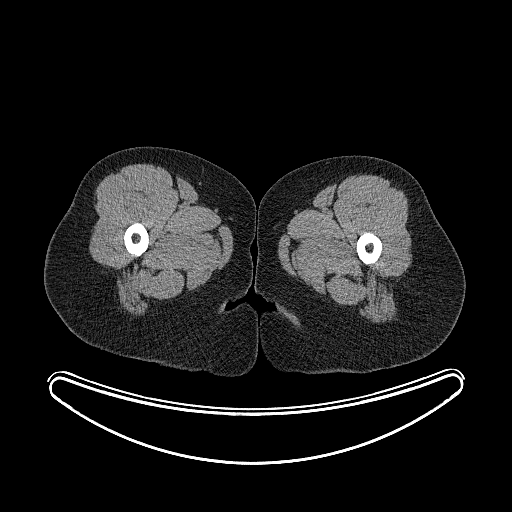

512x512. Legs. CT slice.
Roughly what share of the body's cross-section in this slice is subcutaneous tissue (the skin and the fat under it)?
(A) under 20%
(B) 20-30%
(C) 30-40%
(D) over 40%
Answer: (D) over 40%
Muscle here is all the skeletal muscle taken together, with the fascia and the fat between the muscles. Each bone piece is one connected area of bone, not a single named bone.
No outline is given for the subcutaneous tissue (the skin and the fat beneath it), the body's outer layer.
The bones appear in 2 outlined pieces: piece 1: 134 222; 140 222; 143 224; 147 230; 147 232; 148 233; 148 237; 149 238; 149 243; 148 244; 148 247; 147 249; 139 256; 135 256; 131 254; 126 249; 124 244; 124 239; 123 238; 124 232; 126 228; 129 225; piece 2: 365 231; 369 231; 375 234; 380 239; 382 243; 382 249; 381 250; 381 253; 378 259; 374 263; 371 263; 370 264; 365 264; 359 258; 357 254; 357 252; 356 251; 356 242; 359 236; 363 232. The left leg is outlined by 342 155; 367 155; 391 161; 406 169; 419 182; 462 264; 465 275; 463 305; 445 341; 421 359; 367 373; 306 374; 280 371; 267 361; 259 340; 257 313; 272 310; 274 305; 258 295; 254 289; 257 207; 265 192; 286 173; 316 160. The muscle appears in 2 outlined pieces: piece 1: 134 163; 158 163; 187 180; 205 200; 217 209; 233 237; 233 250; 230 259; 213 280; 188 297; 148 314; 138 316; 124 313; 118 307; 112 275; 106 268; 93 260; 88 249; 91 232; 98 218; 94 208; 94 193; 97 185; 117 168, around a hole outlined by 134 222; 140 222; 143 224; 147 230; 147 232; 148 233; 148 237; 149 238; 149 243; 148 244; 148 247; 147 249; 139 256; 135 256; 131 254; 126 249; 124 244; 124 239; 123 238; 124 232; 126 228; 129 225; piece 2: 354 174; 373 174; 388 179; 404 192; 408 200; 412 262; 396 284; 394 290; 398 320; 390 323; 379 325; 367 323; 362 317; 345 309; 335 308; 315 297; 302 283; 282 268; 277 253; 281 232; 294 215; 295 210; 326 186 with a hole at 365 231; 369 231; 375 234; 380 239; 382 243; 382 249; 381 250; 381 253; 378 259; 374 263; 371 263; 370 264; 365 264; 359 258; 357 254; 357 252; 356 251; 356 242; 359 236; 363 232. The right leg is outlined by 135 146; 168 147; 202 157; 233 174; 253 197; 253 285; 241 299; 226 306; 229 309; 246 301; 256 310; 257 357; 244 375; 224 377; 190 372; 98 349; 72 333; 48 300; 43 281; 47 247; 80 181; 101 158.